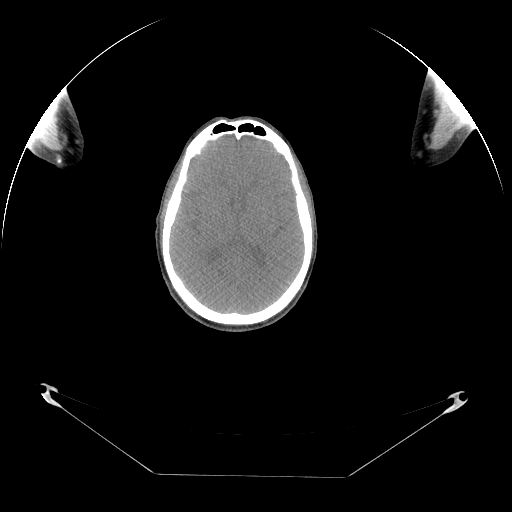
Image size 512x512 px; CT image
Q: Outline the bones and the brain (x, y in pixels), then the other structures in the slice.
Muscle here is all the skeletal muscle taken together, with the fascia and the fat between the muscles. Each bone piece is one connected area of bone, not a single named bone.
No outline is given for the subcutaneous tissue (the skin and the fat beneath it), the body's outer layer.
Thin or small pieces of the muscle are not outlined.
A: {"bones":[{"outer":[[220,119],[229,121],[253,119],[269,127],[286,142],[297,168],[299,182],[311,219],[312,255],[299,290],[282,310],[268,319],[252,324],[235,325],[214,322],[202,317],[188,307],[171,284],[164,266],[161,251],[165,212],[178,178],[185,149],[202,129]],"holes":[[[229,135],[233,135],[237,140],[249,136],[268,142],[284,158],[289,169],[289,181],[294,193],[302,236],[301,262],[291,281],[273,301],[249,312],[219,311],[200,301],[178,274],[170,251],[172,227],[188,180],[191,160],[202,152],[208,142],[216,142]],[[247,124],[248,124],[249,125],[251,125],[252,126],[252,127],[253,128],[261,128],[263,130],[263,133],[258,133],[257,132],[255,132],[253,130],[247,130],[246,129],[244,129],[243,130],[240,130],[240,127],[241,126],[242,126],[243,125],[246,125]],[[222,124],[223,124],[224,125],[227,125],[228,126],[231,126],[232,127],[232,128],[231,129],[225,129],[224,130],[220,130],[219,131],[215,131],[215,128],[216,127],[217,127],[218,126],[219,126],[220,125],[221,125]]]},[[447,85],[451,89],[451,90],[455,94],[455,95],[457,96],[459,100],[463,104],[464,107],[467,110],[467,111],[473,119],[462,120],[458,118],[457,116],[454,115],[450,111],[449,105],[447,101],[447,96],[446,95],[446,88],[447,87]]],"brain":[[[229,135],[233,135],[237,140],[249,136],[268,142],[284,158],[289,169],[289,181],[294,193],[302,236],[301,262],[291,281],[273,301],[249,312],[219,311],[200,301],[178,274],[170,251],[172,227],[188,180],[191,160],[202,152],[208,142],[216,142]]],"left_arm":[[[430,71],[434,72],[439,76],[451,89],[455,95],[457,96],[473,119],[476,128],[470,133],[459,150],[449,160],[439,165],[431,167],[418,167],[410,159],[409,150],[410,149],[411,134],[416,117],[416,110],[417,109],[420,91],[422,87],[424,77]]],"muscle":[[[435,73],[446,84],[445,95],[449,111],[454,116],[457,117],[458,119],[462,121],[473,120],[475,124],[466,125],[464,127],[462,127],[447,142],[447,144],[443,148],[435,151],[429,151],[424,148],[422,138],[423,135],[430,129],[432,124]],[[55,97],[56,97],[57,117],[58,118],[59,125],[60,126],[60,128],[66,134],[67,136],[67,149],[59,154],[56,154],[47,147],[41,144],[37,144],[36,143],[34,143],[29,139],[31,133],[33,131],[35,126],[37,124],[41,116]],[[181,159],[177,178],[174,183],[171,193],[167,201],[165,211],[164,212],[164,217],[162,222],[162,232],[161,233],[161,244],[160,247],[160,230],[159,229],[159,222],[160,221],[161,212],[163,208],[163,202],[165,198],[165,194],[169,182]],[[294,156],[300,167],[300,169],[302,172],[310,196],[310,200],[312,206],[312,212],[313,213],[313,218],[314,219],[313,251],[313,228],[312,227],[312,219],[310,215],[310,212],[308,207],[308,203],[300,182],[299,174],[298,173],[298,168],[296,165]]],"head":[{"outer":[[244,114],[259,116],[267,120],[279,129],[291,143],[304,168],[313,194],[318,241],[313,271],[305,291],[294,307],[282,318],[265,327],[231,332],[201,324],[187,315],[174,301],[160,273],[154,230],[155,217],[166,180],[190,134],[214,116],[234,117]],"holes":[[[247,124],[248,124],[249,125],[251,125],[252,126],[252,127],[253,128],[261,128],[263,130],[263,133],[258,133],[257,132],[255,132],[253,130],[247,130],[246,129],[244,129],[243,130],[240,130],[240,127],[241,126],[242,126],[243,125],[246,125]],[[222,124],[223,124],[224,125],[227,125],[228,126],[231,126],[232,127],[232,128],[231,129],[225,129],[224,130],[220,130],[219,131],[215,131],[215,128],[216,127],[217,127],[218,126],[219,126],[220,125],[221,125]]]}],"right_arm":[[[60,92],[66,92],[69,96],[77,114],[79,120],[80,128],[84,137],[84,152],[83,153],[83,158],[77,167],[69,170],[63,170],[60,169],[54,165],[37,157],[34,155],[28,146],[27,143],[31,133],[33,131],[41,116],[53,99]]]}